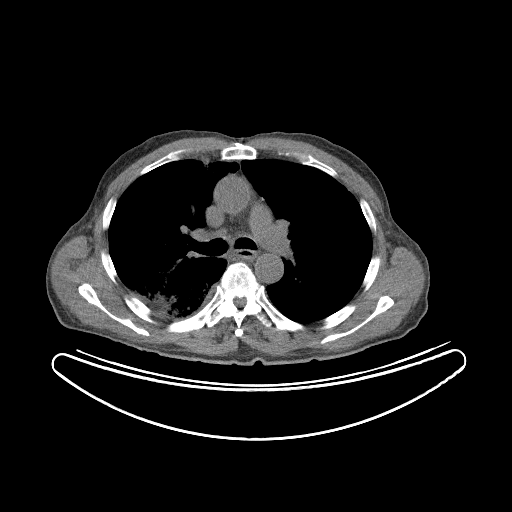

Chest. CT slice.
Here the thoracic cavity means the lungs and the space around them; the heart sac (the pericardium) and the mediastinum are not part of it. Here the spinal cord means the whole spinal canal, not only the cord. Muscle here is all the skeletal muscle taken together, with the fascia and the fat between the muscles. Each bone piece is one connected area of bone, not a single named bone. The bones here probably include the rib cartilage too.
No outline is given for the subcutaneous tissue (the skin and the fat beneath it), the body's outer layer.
The bones appear in 12 outlined pieces: piece 1: 240,261 264,286 270,302 284,316 303,324 303,330 276,330 273,324 266,327 251,314 241,322 241,336 235,335 232,316 222,317 211,327 204,325 186,332 166,330 169,323 192,316 204,307 214,295 226,267; inner edge: 236,297 238,297 239,298 241,298 242,297 244,297 245,298 245,299 246,300 246,302 245,303 245,304 242,307 238,307 234,303 234,299; piece 2: 85,282 91,285 96,292 96,294 101,303 111,313 120,318 130,319 137,327 141,327 145,329 149,333 149,335 147,336 137,333 134,330 128,327 127,325 110,317 96,305 88,302 78,291 78,287 82,283; piece 3: 382,295 388,295 393,300 394,302 392,306 385,311 377,314 373,318 353,332 347,335 341,336 338,339 333,341 330,341 325,343 319,343 327,335 333,333 340,333 347,331 363,321 375,309 378,299; piece 4: 234,142 239,142 240,143 243,143 244,144 246,144 247,145 254,147 257,151 257,157 254,159 243,159 242,160 239,160 238,159 237,160 220,160 219,159 219,157 220,156 220,151 221,149 223,147 232,145; piece 5: 286,151 298,151 306,154 310,154 316,159 332,167 336,171 337,176 335,178 326,172 323,171 321,169 317,168 314,166 303,164 297,161 291,156 285,156 283,154 281,154 280,155 279,154 279,152 283,153; piece 6: 349,303 352,303 356,305 356,307 355,309 350,315 349,315 344,320 343,320 338,324 330,328 328,328 327,329 320,329 319,328 322,324 322,319 336,312 338,310 339,310 341,308 342,308 344,306 345,306; piece 7: 125,295 132,295 133,296 135,296 144,304 145,304 151,310 151,313 150,314 150,316 156,322 156,323 151,323 150,322 148,322 146,320 141,318 139,316 135,314 126,304 124,300 124,296; piece 8: 180,148 186,148 188,149 188,151 184,153 181,156 181,158 180,159 164,163 141,175 139,175 139,172 146,165 150,164 152,162 162,157 169,152 173,150 176,150 177,149 179,149; piece 9: 373,255 378,255 379,256 380,258 380,264 379,265 379,267 378,268 378,270 377,271 376,276 373,282 367,290 365,291 363,291 363,287 361,285 362,284 362,281 366,273 366,271 369,265 370,260; piece 10: 102,250 105,250 106,251 107,251 109,253 109,255 111,258 112,263 113,264 113,265 114,266 114,268 117,273 117,276 116,277 116,283 114,283 108,276 108,275 102,264 102,261 101,260 101,251; piece 11: 113,196 114,196 117,199 117,201 116,202 116,204 115,205 115,207 114,208 114,210 113,211 113,213 112,214 112,216 111,217 111,219 109,223 109,226 106,230 104,230 102,227 103,211 108,200; piece 12: 361,198 363,198 368,203 371,209 371,211 374,216 374,218 375,219 375,226 376,227 376,229 374,233 371,231 367,223 367,221 363,214 363,212 361,209 361,207 359,203 359,200. The mediastinum is outlined by 238,160 241,161 241,169 247,179 279,220 284,270 278,281 266,287 256,279 245,262 240,260 227,265 223,257 206,255 208,243 204,240 205,209 211,202 216,183 228,172 234,173 239,168 236,161 228,161. The torso is outlined by 180,129 218,131 235,137 305,132 324,137 361,158 381,182 393,219 427,257 428,308 418,325 401,338 348,356 266,366 258,360 244,366 170,358 63,326 45,286 54,246 83,215 102,174 118,156 151,136. The thoracic cavity appears in 2 outlined pieces: piece 1: 188,158 236,162 238,168 234,172 228,171 215,183 210,202 203,212 203,240 207,243 205,255 223,258 225,269 213,295 204,306 192,315 170,321 152,312 120,279 109,252 108,229 118,199 132,182 164,164; piece 2: 257,158 279,158 298,162 319,169 336,179 358,201 371,232 371,257 360,286 348,303 321,319 306,323 293,320 284,315 267,295 267,286 278,282 284,275 284,252 280,220 242,169 243,160. The spinal cord is outlined by 236,297 238,297 239,298 241,298 242,297 244,297 245,298 245,299 246,300 246,302 245,303 245,304 242,307 238,307 234,303 234,299. The muscle is outlined by 189,137 216,137 233,142 220,149 218,158 182,158 189,149 173,149 146,164 118,198 113,195 107,200 102,211 101,227 107,230 108,251 100,251 101,264 114,284 118,277 133,292 135,295 125,294 123,300 135,315 156,324 151,314 157,314 170,322 165,326 169,333 211,328 222,318 232,317 234,335 241,337 242,322 250,315 266,328 273,325 276,331 296,332 303,331 304,324 318,320 321,320 318,328 327,330 353,313 357,305 350,301 361,286 363,292 370,288 381,264 380,256 372,255 375,216 363,197 358,200 336,178 338,173 332,166 312,154 279,151 280,156 296,161 258,157 257,149 246,142 280,137 309,143 357,172 382,203 384,239 411,250 419,259 424,272 423,289 399,325 386,334 337,351 271,355 241,343 234,352 208,355 139,343 109,330 72,321 51,282 57,252 74,236 94,233 107,188 122,171 160,146, around holes outlined by 85,282 91,285 96,292 96,294 101,303 111,313 120,318 130,319 137,327 141,327 145,329 149,333 149,335 147,336 137,333 134,330 128,327 127,325 110,317 96,305 88,302 78,291 78,287 82,283 and by 382,295 388,295 393,300 394,302 392,306 385,311 377,314 373,318 353,332 347,335 341,336 338,339 333,341 330,341 325,343 319,343 327,335 333,333 340,333 347,331 363,321 375,309 378,299.